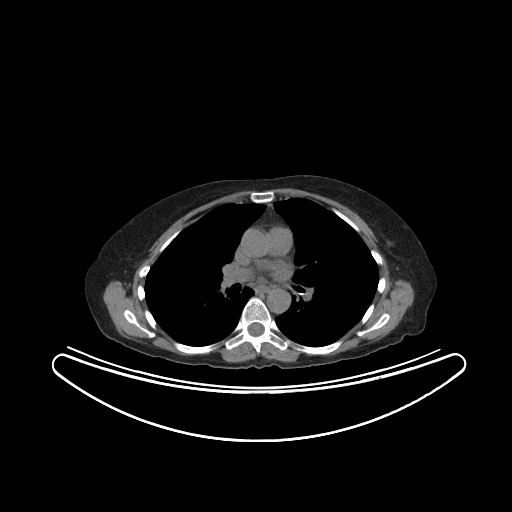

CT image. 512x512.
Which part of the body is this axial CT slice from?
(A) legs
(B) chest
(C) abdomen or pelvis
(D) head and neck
(B) chest
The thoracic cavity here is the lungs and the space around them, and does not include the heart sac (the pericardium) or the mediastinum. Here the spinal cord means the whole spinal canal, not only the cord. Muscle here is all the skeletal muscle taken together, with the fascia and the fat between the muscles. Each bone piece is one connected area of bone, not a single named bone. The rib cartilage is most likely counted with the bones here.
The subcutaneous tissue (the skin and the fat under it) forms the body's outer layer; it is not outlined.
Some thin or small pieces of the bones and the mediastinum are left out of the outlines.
{"spinal_cord":[[[252,323],[259,323],[260,324],[261,324],[263,326],[263,332],[261,334],[260,334],[259,335],[252,335],[251,334],[250,334],[249,333],[249,332],[248,331],[248,327]]],"pericardium":[[[273,220],[277,220],[284,223],[290,228],[293,235],[294,251],[292,258],[292,265],[289,270],[289,273],[281,279],[273,279],[270,277],[250,277],[246,275],[240,269],[240,266],[236,263],[236,251],[241,238],[244,232],[248,228],[262,222],[269,222]]],"thoracic_cavity":[[[244,202],[265,206],[262,213],[243,232],[231,261],[235,268],[235,281],[239,283],[242,290],[248,287],[253,294],[244,304],[236,325],[227,337],[205,345],[189,345],[179,342],[158,325],[148,308],[145,299],[145,278],[160,254],[183,229],[217,206]],[[294,197],[306,198],[323,206],[349,225],[358,233],[378,268],[379,277],[376,292],[359,321],[340,338],[325,345],[312,346],[296,342],[281,331],[275,320],[291,306],[296,294],[292,276],[297,268],[294,262],[296,246],[293,232],[276,211],[274,203]]],"muscle":[{"outer":[[274,188],[300,189],[333,199],[355,212],[372,230],[390,277],[393,280],[409,281],[414,290],[412,304],[389,333],[372,343],[334,355],[301,355],[293,362],[262,356],[248,361],[228,362],[217,353],[180,355],[127,338],[117,331],[103,300],[106,285],[111,280],[131,283],[135,271],[148,257],[155,241],[189,211],[235,192],[253,190],[248,196],[249,201],[222,203],[184,228],[175,230],[159,247],[155,261],[151,265],[144,264],[139,269],[138,276],[144,278],[144,283],[137,285],[136,293],[140,301],[145,300],[147,308],[143,313],[146,321],[153,330],[159,326],[174,340],[172,344],[179,352],[189,355],[210,353],[221,344],[231,350],[245,342],[250,343],[257,354],[265,342],[281,351],[291,347],[308,355],[326,355],[338,349],[343,343],[341,338],[351,328],[358,323],[363,325],[368,320],[375,308],[372,302],[375,294],[381,294],[386,287],[386,278],[379,275],[378,267],[383,264],[383,258],[378,251],[368,248],[359,234],[360,228],[337,208],[328,209],[306,197],[275,199],[276,195],[271,189]],"holes":[[[384,313],[387,313],[389,314],[390,316],[388,321],[384,325],[383,325],[379,328],[377,328],[371,331],[369,331],[360,336],[357,335],[357,332],[358,331],[360,331],[361,330],[364,330],[365,329],[367,329],[369,328],[380,317],[380,316]],[[126,309],[128,309],[134,314],[136,318],[136,320],[144,328],[146,329],[148,329],[150,331],[152,331],[154,332],[155,333],[155,336],[154,337],[149,337],[148,335],[144,331],[140,329],[133,323],[131,323],[129,322],[125,318],[123,314],[124,311]]]}],"mediastinum":[[[294,244],[293,262],[296,268],[291,281],[295,294],[289,308],[274,318],[266,304],[259,297],[252,296],[254,291],[250,287],[245,286],[242,289],[240,283],[236,281],[237,273],[232,261],[235,251],[235,263],[246,276],[281,280],[290,273],[292,268]],[[274,200],[277,200],[275,200],[273,203],[273,207],[275,211],[281,216],[287,225],[284,222],[280,220],[273,219],[269,221],[262,221],[259,223],[256,223],[249,227],[249,226],[252,223],[253,223],[265,210],[266,206],[264,203],[271,202]]],"torso":[[[296,174],[327,176],[360,187],[390,206],[413,230],[437,276],[437,288],[421,333],[406,336],[395,345],[357,359],[299,369],[282,369],[274,365],[260,369],[183,365],[144,355],[102,334],[85,298],[84,277],[104,243],[132,217],[160,199],[198,184]]],"bones":[{"outer":[[251,297],[257,297],[265,304],[280,331],[292,341],[312,347],[325,346],[339,339],[342,343],[326,354],[308,354],[291,346],[281,350],[266,341],[261,344],[259,353],[247,341],[231,349],[221,343],[207,353],[179,351],[174,341],[205,346],[227,338]],"hole":[[252,323],[259,323],[260,324],[261,324],[263,326],[263,332],[261,334],[260,334],[259,335],[252,335],[251,334],[250,334],[249,333],[249,332],[248,331],[248,327]]},[[266,190],[271,190],[273,191],[275,195],[275,198],[273,200],[271,201],[268,201],[267,202],[264,202],[263,203],[258,203],[257,202],[253,202],[252,201],[250,201],[249,199],[249,196],[252,192],[254,191],[265,191]],[[126,309],[128,309],[134,314],[136,318],[136,320],[144,328],[146,329],[148,329],[150,331],[152,331],[154,332],[155,333],[155,336],[154,337],[149,337],[148,335],[144,331],[140,329],[133,323],[131,323],[129,322],[125,318],[123,314],[124,311]],[[384,313],[387,313],[389,314],[390,316],[388,321],[384,325],[383,325],[379,328],[377,328],[371,331],[369,331],[360,336],[357,335],[357,332],[358,331],[360,331],[361,330],[364,330],[365,329],[367,329],[369,328],[380,317],[380,316]],[[332,208],[335,208],[336,209],[337,209],[339,211],[340,211],[343,214],[344,214],[347,217],[348,217],[359,228],[359,232],[357,232],[349,224],[348,224],[343,219],[342,219],[339,216],[338,216],[335,213],[334,213],[331,210],[331,209]],[[145,309],[148,309],[149,310],[149,311],[151,313],[153,318],[155,320],[155,321],[157,324],[157,325],[156,326],[156,328],[155,329],[153,329],[147,321],[147,319],[146,318],[146,317],[145,316],[145,314],[144,313],[144,311],[145,310]],[[371,303],[373,303],[374,304],[374,308],[373,309],[373,311],[371,313],[370,316],[367,319],[367,320],[363,324],[361,324],[359,322],[360,321],[360,320],[362,318],[363,315],[365,313],[366,310],[368,308],[368,307],[370,305],[370,304]],[[178,229],[180,229],[181,230],[179,232],[179,233],[166,246],[166,247],[160,253],[159,252],[159,249],[160,248],[160,247],[164,243],[164,242],[175,231],[176,231]],[[371,249],[373,249],[374,250],[375,250],[377,252],[378,252],[379,253],[379,254],[381,256],[381,257],[382,258],[382,264],[381,265],[378,265],[377,264],[377,263],[375,261],[375,260],[374,259],[374,258],[372,256],[372,255],[370,252],[370,250]],[[144,265],[149,265],[150,266],[150,268],[149,269],[149,270],[148,271],[148,272],[147,273],[147,274],[145,276],[145,277],[140,277],[139,276],[139,271],[140,270],[140,269]]]}